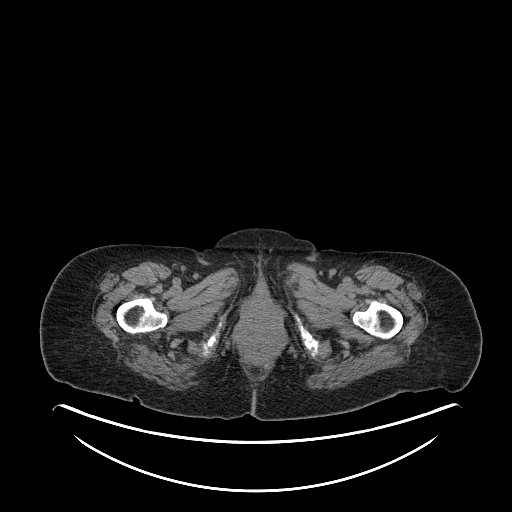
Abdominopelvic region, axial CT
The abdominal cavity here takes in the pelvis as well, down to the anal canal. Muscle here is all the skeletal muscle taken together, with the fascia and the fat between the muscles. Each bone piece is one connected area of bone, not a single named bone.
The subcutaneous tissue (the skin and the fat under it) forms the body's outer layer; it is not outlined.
{"bones":[[[144,297],[150,298],[154,307],[158,311],[163,312],[167,315],[167,317],[168,318],[167,319],[167,323],[163,327],[158,328],[149,332],[131,334],[125,331],[119,325],[115,315],[116,309],[122,302],[128,301],[136,298],[143,298]],[[372,300],[377,300],[380,302],[385,302],[393,306],[395,308],[399,310],[403,316],[403,324],[400,330],[395,335],[388,339],[382,339],[368,333],[362,328],[354,324],[352,320],[352,317],[353,316],[354,312],[358,310],[365,310],[368,307],[370,302]],[[294,313],[297,314],[299,316],[303,325],[308,330],[308,331],[312,335],[312,336],[319,341],[318,353],[315,357],[313,357],[312,356],[311,352],[308,349],[307,349],[303,344],[303,342],[300,336],[300,333],[299,332],[296,321],[293,315]],[[224,314],[225,314],[225,316],[223,319],[223,324],[221,328],[219,330],[219,336],[217,339],[217,342],[215,343],[209,349],[209,353],[206,356],[204,356],[202,354],[202,343],[206,341],[210,336],[210,335],[215,330],[216,328],[216,326],[220,318]]],"torso":[[[250,227],[283,230],[320,249],[417,253],[451,269],[469,291],[482,332],[481,356],[469,383],[456,392],[403,392],[345,413],[264,421],[249,414],[231,419],[175,415],[136,399],[54,380],[41,355],[39,321],[53,279],[71,258],[121,243],[201,250]]],"abdominal_cavity":[[[260,308],[264,308],[270,314],[272,314],[277,320],[280,327],[282,342],[269,366],[263,373],[260,375],[256,375],[255,373],[252,373],[250,371],[244,361],[241,346],[239,343],[240,342],[240,336],[238,332],[244,318],[253,311]]],"muscle":[{"outer":[[139,260],[163,263],[194,279],[222,268],[234,268],[240,277],[238,300],[249,295],[263,279],[271,297],[285,309],[288,300],[283,285],[290,264],[304,264],[329,277],[339,277],[364,263],[385,265],[413,277],[422,288],[428,324],[411,346],[406,363],[376,371],[344,387],[306,387],[304,381],[312,365],[284,348],[265,378],[250,379],[231,342],[210,363],[198,385],[173,390],[119,365],[110,340],[92,323],[100,269]],"holes":[[[260,308],[264,308],[270,314],[272,314],[277,320],[280,327],[282,342],[269,366],[263,373],[260,375],[256,375],[255,373],[252,373],[250,371],[244,361],[241,346],[239,343],[240,342],[240,336],[238,332],[244,318],[253,311]],[[144,297],[150,298],[154,307],[158,311],[163,312],[167,315],[167,317],[168,318],[167,319],[167,323],[163,327],[158,328],[149,332],[131,334],[125,331],[119,325],[115,315],[116,309],[122,302],[128,301],[136,298],[143,298]],[[372,300],[377,300],[380,302],[385,302],[393,306],[395,308],[399,310],[403,316],[403,324],[400,330],[395,335],[388,339],[382,339],[368,333],[362,328],[354,324],[352,320],[352,317],[353,316],[354,312],[358,310],[365,310],[368,307],[370,302]],[[294,313],[297,314],[299,316],[303,325],[308,330],[308,331],[312,335],[312,336],[319,341],[318,353],[315,357],[313,357],[312,356],[311,352],[308,349],[307,349],[303,344],[303,342],[300,336],[300,333],[299,332],[296,321],[293,315]],[[224,314],[225,314],[225,316],[223,319],[223,324],[221,328],[219,330],[219,336],[217,339],[217,342],[215,343],[209,349],[209,353],[206,356],[204,356],[202,354],[202,343],[206,341],[210,336],[210,335],[215,330],[216,328],[216,326],[220,318]]]}]}